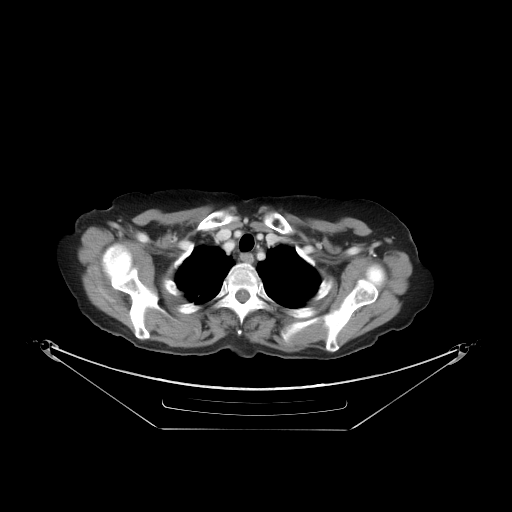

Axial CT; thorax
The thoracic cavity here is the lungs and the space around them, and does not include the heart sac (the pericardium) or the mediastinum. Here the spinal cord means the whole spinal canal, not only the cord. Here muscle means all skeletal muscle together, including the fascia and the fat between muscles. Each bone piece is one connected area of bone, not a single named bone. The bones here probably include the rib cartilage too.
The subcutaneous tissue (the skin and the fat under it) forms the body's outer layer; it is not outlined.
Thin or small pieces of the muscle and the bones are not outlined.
The mediastinum is outlined by 245,226 262,232 273,232 277,234 279,238 284,242 276,246 270,247 267,250 264,259 258,261 255,266 248,261 236,262 233,257 231,255 228,255 220,246 208,245 204,243 213,236 215,231 219,228 234,229. The right arm is outlined by 108,207 122,220 123,223 136,238 140,249 140,255 137,262 137,265 135,269 124,280 107,288 91,294 73,294 68,289 56,262 54,251 56,240 62,232 69,230 72,227 74,221 80,214 93,208 104,209. The torso is outlined by 163,188 229,191 245,199 314,194 373,200 392,212 364,241 365,274 389,303 422,310 372,346 328,361 262,353 244,358 228,349 197,356 136,348 93,324 71,294 95,294 136,269 139,242 110,204 126,192. The thoracic cavity appears in 2 outlined pieces: piece 1: 285,243 292,246 296,253 304,261 312,267 314,267 321,279 314,295 310,297 305,303 305,305 303,306 287,307 280,305 266,292 264,284 256,268 256,265 258,262 265,259 267,252 270,248 276,247 280,244; piece 2: 200,244 206,244 208,246 217,246 220,247 228,256 231,256 235,262 228,270 217,293 208,301 201,304 200,303 195,303 193,301 189,301 185,296 184,292 179,289 174,280 177,269 192,253 194,248. The bones appear in 10 outlined pieces: piece 1: 372,264 383,267 386,279 378,287 375,301 357,308 339,331 337,350 325,349 327,328 322,319 296,332 289,342 283,339 284,327 306,319 295,318 282,307 310,306 316,309 318,316 335,310 356,282 366,276; piece 2: 117,242 123,244 130,252 132,264 137,269 139,280 157,293 157,302 168,315 155,308 148,307 146,309 144,325 149,332 148,339 141,340 134,335 129,315 131,298 127,293 115,289 102,270 101,259 105,249; piece 3: 240,262 248,262 255,267 263,284 265,292 281,306 278,306 271,311 263,309 256,309 251,311 246,315 241,323 238,316 230,308 221,307 215,309 212,307 212,304 209,301 220,290 222,283 231,267 236,263 with a hole at 239,290 245,290 248,293 248,294 249,295 249,296 248,297 248,298 244,302 241,302 240,301 239,301 236,298 236,293; piece 4: 218,209 226,209 228,210 231,213 236,216 239,219 238,220 236,221 232,221 227,224 224,224 221,226 219,226 212,229 208,229 207,230 196,230 196,227 198,225 198,224 206,216 207,216 213,211 217,210; piece 5: 268,211 277,211 280,214 281,214 289,223 289,224 293,229 293,232 292,232 291,233 288,233 287,234 282,234 281,233 279,233 277,231 272,229 270,227 265,225 263,222 263,215 266,212 267,212; piece 6: 323,279 326,279 327,280 328,279 332,279 332,280 333,281 333,283 332,284 332,286 326,295 325,295 323,297 322,297 319,299 314,299 313,298 313,297 315,295 315,294 319,287 319,285 320,284 321,281; piece 7: 187,302 193,302 195,304 200,304 201,305 201,308 200,308 198,310 197,310 194,312 192,312 191,313 182,313 181,312 180,312 179,311 178,311 178,310 177,309 177,307 180,304 182,304 183,303 186,303; piece 8: 165,278 168,278 169,279 172,279 174,281 174,282 176,284 176,286 178,288 178,289 179,290 180,290 180,294 179,294 178,295 174,295 173,294 170,293 166,290 166,289 164,287 164,285 163,284 163,280; piece 9: 193,244 194,244 194,247 193,248 193,249 192,250 192,251 191,252 191,253 180,264 180,265 176,269 175,268 174,268 173,267 173,266 172,265 173,264 173,262 182,253 183,253 191,245 192,245; piece 10: 295,243 296,243 303,250 304,250 307,253 308,253 309,254 309,255 314,260 314,261 315,262 315,266 312,266 309,263 308,263 305,260 304,260 297,253 297,252 296,251 296,250 295,249. The muscle is outlined by 208,204 233,204 246,213 269,205 303,218 363,221 396,241 412,263 400,311 340,347 340,331 357,309 376,301 387,279 380,263 367,267 337,308 318,315 306,303 326,296 334,281 321,278 308,252 273,231 219,227 182,252 172,262 173,279 162,280 167,292 181,291 188,301 177,311 191,314 209,302 215,310 230,309 241,324 251,312 281,307 305,319 283,327 286,343 322,320 325,350 286,352 236,335 188,348 148,340 147,309 169,315 117,241 104,249 100,265 110,285 130,298 133,334 88,299 76,253 82,233 151,208 173,212 with holes at 218,209 226,209 228,210 231,213 236,216 239,219 238,220 236,221 232,221 227,224 224,224 221,226 219,226 212,229 208,229 207,230 196,230 196,227 198,225 198,224 206,216 207,216 213,211 217,210 and at 268,211 277,211 280,214 281,214 289,223 289,224 293,229 293,232 292,232 291,233 288,233 287,234 282,234 281,233 279,233 277,231 272,229 270,227 265,225 263,222 263,215 266,212 267,212. The spinal cord is outlined by 239,290 245,290 248,293 248,294 249,295 249,296 248,297 248,298 244,302 241,302 240,301 239,301 236,298 236,293. The left arm is outlined by 389,213 394,213 407,226 417,247 419,259 423,264 427,266 432,271 434,275 435,279 434,290 430,301 425,308 423,309 409,309 395,305 386,300 375,290 364,269 363,265 363,248 365,241 373,227 385,215.